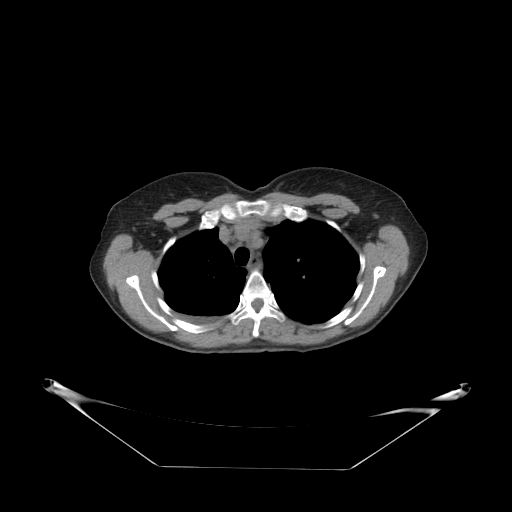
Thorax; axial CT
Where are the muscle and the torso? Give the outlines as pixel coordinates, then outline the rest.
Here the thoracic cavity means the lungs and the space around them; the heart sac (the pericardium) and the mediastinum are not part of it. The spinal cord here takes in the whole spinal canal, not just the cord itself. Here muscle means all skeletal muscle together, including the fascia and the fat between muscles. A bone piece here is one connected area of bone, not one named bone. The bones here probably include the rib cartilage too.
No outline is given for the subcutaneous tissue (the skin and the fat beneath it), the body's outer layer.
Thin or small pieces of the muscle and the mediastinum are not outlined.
The muscle appears in 2 outlined pieces: piece 1: (273, 191) (306, 197) (324, 192) (348, 197) (359, 206) (360, 212) (342, 219) (342, 226) (359, 242) (374, 241) (378, 229) (385, 224) (393, 224) (403, 232) (409, 246) (407, 270) (397, 279) (389, 301) (373, 319) (317, 344) (276, 344) (254, 338) (246, 344) (204, 348) (177, 341) (168, 333) (154, 333) (126, 314) (116, 293) (109, 288) (103, 271) (103, 258) (112, 239) (117, 234) (126, 233) (132, 236) (135, 249) (139, 244) (153, 252) (163, 244) (159, 267) (157, 271) (151, 270) (150, 277) (154, 286) (163, 292) (163, 298) (157, 296) (156, 301) (170, 319) (149, 305) (137, 274) (128, 275) (125, 282) (135, 290) (144, 308) (172, 332) (180, 329) (192, 334) (204, 333) (222, 317) (234, 326) (244, 319) (251, 319) (253, 338) (259, 337) (264, 318) (283, 322) (287, 317) (318, 329) (342, 322) (347, 326) (355, 320) (372, 299) (378, 279) (385, 275) (386, 267) (380, 264) (373, 267) (368, 293) (354, 312) (352, 305) (344, 306) (349, 300) (354, 303) (365, 286) (362, 280) (356, 281) (366, 266) (364, 254) (354, 249) (336, 221) (311, 218) (308, 211) (298, 205) (257, 198); piece 2: (228, 192) (238, 194) (245, 199) (228, 201) (223, 203) (219, 207) (206, 210) (200, 216) (197, 229) (178, 239) (178, 237) (173, 234) (166, 240) (169, 233) (164, 228) (164, 224) (151, 218) (152, 215) (162, 205) (166, 203) (175, 203) (185, 198) (197, 198) (206, 201). The torso is outlined by (306, 166) (345, 169) (387, 186) (404, 199) (427, 233) (428, 250) (422, 266) (404, 295) (372, 330) (328, 348) (302, 353) (191, 353) (152, 341) (131, 329) (112, 311) (93, 284) (89, 260) (108, 210) (116, 201) (144, 184) (180, 171) (210, 171) (252, 190) (284, 172). The bones appear in 9 outlined pieces: piece 1: (257, 199) (301, 207) (307, 211) (308, 217) (306, 219) (296, 222) (282, 216) (271, 218) (268, 216) (262, 217) (256, 214) (250, 214) (246, 217) (237, 217) (233, 220) (228, 220) (221, 216) (214, 227) (200, 230) (198, 229) (201, 216) (206, 211) (219, 208) (228, 202); piece 2: (255, 269) (262, 274) (279, 308) (286, 316) (283, 321) (279, 321) (273, 317) (264, 317) (259, 324) (258, 337) (253, 337) (252, 335) (254, 322) (251, 318) (244, 318) (236, 325) (232, 324) (229, 319) (223, 318) (238, 305) (239, 297) (246, 279) (250, 272); inner edge: (255, 299) (261, 299) (262, 300) (262, 305) (261, 306) (261, 307) (257, 311) (252, 306) (252, 302); piece 3: (134, 274) (138, 276) (140, 290) (148, 305) (167, 320) (169, 321) (171, 317) (158, 304) (157, 297) (160, 297) (172, 309) (172, 316) (176, 319) (200, 325) (217, 323) (211, 329) (199, 333) (180, 328) (175, 331) (170, 330) (145, 308) (136, 290) (126, 282) (126, 278); piece 4: (378, 265) (385, 267) (385, 273) (383, 276) (377, 279) (371, 299) (355, 319) (347, 325) (345, 325) (342, 321) (326, 328) (318, 328) (312, 326) (313, 324) (325, 322) (336, 315) (344, 307) (349, 305) (352, 306) (352, 312) (354, 313) (367, 297) (373, 281) (373, 269); piece 5: (360, 281) (362, 281) (364, 283) (364, 286) (362, 289) (362, 291) (361, 292) (360, 295) (358, 297) (358, 298) (354, 302) (351, 302) (350, 301) (350, 299) (351, 298) (351, 297) (352, 296) (352, 295) (356, 288) (356, 286) (357, 285) (358, 282) (359, 282); piece 6: (173, 235) (175, 235) (177, 237) (177, 239) (176, 240) (176, 241) (165, 252) (165, 253) (162, 256) (161, 255) (161, 254) (162, 253) (162, 249) (163, 248) (163, 246) (164, 245) (164, 244) (166, 242) (166, 241) (171, 236) (172, 236); piece 7: (360, 252) (363, 254) (363, 255) (365, 258) (365, 266) (364, 267) (364, 269) (363, 270) (363, 271) (362, 272) (362, 273) (360, 275) (358, 275) (358, 273) (359, 272) (359, 269) (360, 268) (360, 262) (359, 261) (359, 256) (358, 255) (358, 254); piece 8: (152, 270) (155, 270) (157, 272) (157, 278) (158, 279) (158, 283) (159, 284) (159, 285) (160, 286) (160, 287) (161, 288) (162, 291) (159, 290) (155, 286) (155, 285) (154, 284) (154, 283) (152, 280) (152, 278) (151, 277) (151, 272) (152, 271); piece 9: (325, 219) (329, 219) (330, 220) (332, 220) (333, 221) (336, 222) (337, 223) (337, 224) (340, 227) (340, 228) (341, 229) (341, 231) (340, 232) (339, 231) (338, 231) (335, 228) (332, 227) (330, 225) (329, 225) (327, 223) (326, 223) (325, 222). The mediastinum is outlined by (248, 217) (261, 217) (266, 219) (285, 218) (278, 224) (270, 227) (267, 230) (269, 237) (262, 251) (264, 260) (263, 273) (255, 268) (249, 272) (246, 278) (247, 271) (243, 267) (238, 267) (234, 264) (230, 251) (219, 239) (219, 230) (216, 225) (220, 220) (233, 221). The spinal cord is outlined by (255, 299) (261, 299) (262, 300) (262, 305) (261, 306) (261, 307) (257, 311) (252, 306) (252, 302). The thoracic cavity appears in 2 outlined pieces: piece 1: (308, 218) (324, 222) (339, 232) (357, 253) (359, 262) (359, 268) (355, 279) (356, 285) (350, 298) (336, 314) (323, 322) (311, 324) (297, 321) (286, 315) (280, 308) (270, 285) (263, 275) (265, 265) (263, 251) (270, 237) (268, 230) (278, 225) (285, 219) (300, 223); piece 2: (215, 227) (218, 230) (218, 239) (229, 251) (233, 264) (246, 271) (245, 282) (239, 294) (238, 303) (232, 311) (225, 314) (214, 323) (200, 324) (176, 318) (173, 316) (173, 309) (164, 299) (164, 292) (159, 283) (158, 270) (162, 258) (177, 240) (197, 230) (200, 231).